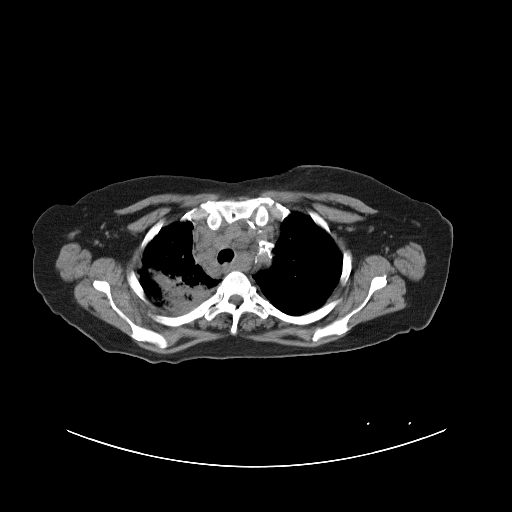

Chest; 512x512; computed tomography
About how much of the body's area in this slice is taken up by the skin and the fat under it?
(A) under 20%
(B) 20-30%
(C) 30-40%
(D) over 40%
Answer: (C) 30-40%
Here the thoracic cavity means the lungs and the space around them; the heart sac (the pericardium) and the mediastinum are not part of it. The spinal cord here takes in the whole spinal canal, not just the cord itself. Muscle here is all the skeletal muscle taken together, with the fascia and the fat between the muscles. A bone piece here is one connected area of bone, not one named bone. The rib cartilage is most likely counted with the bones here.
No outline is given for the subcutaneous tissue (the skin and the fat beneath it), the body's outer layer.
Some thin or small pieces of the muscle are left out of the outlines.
Outlined structures:
muscle: 270,189 336,192 377,209 377,214 348,234 357,260 371,254 387,257 411,241 423,249 425,272 410,286 409,304 351,329 350,318 387,284 385,273 375,275 356,307 313,331 313,342 344,334 336,340 306,347 235,335 244,313 253,313 262,320 272,316 301,326 322,319 342,300 328,299 338,284 345,285 352,271 352,251 347,247 340,251 329,224 317,211 292,211 268,195 208,199 171,223 160,218 148,228 139,244 142,252 137,274 131,268 125,276 143,302 148,304 149,300 172,314 150,313 155,322 178,327 202,317 209,322 218,314 227,313 231,316 232,335 173,353 145,349 132,339 161,349 169,346 167,339 125,314 115,303 108,281 95,278 92,286 106,295 112,309 129,325 129,336 82,308 55,268 58,251 71,242 98,257 112,257 123,264 138,237 126,228 134,217 113,211 148,196 205,192 237,196
bones 1: 233,270 245,274 260,294 288,315 303,315 328,301 341,300 322,318 302,325 272,315 262,319 253,312 244,312 233,335 232,316 220,312 209,321 202,316 168,326 155,321 150,314 187,313 210,297 224,276 with a hole at 232,295 238,295 239,296 240,296 242,298 242,301 238,305 236,305 234,303 233,303 232,302 231,302 230,301 229,301 229,299 230,298 230,297
bones 2: 257,196 268,196 288,208 290,213 282,221 271,215 267,222 263,225 254,223 252,226 243,218 231,223 224,220 218,228 212,229 209,227 204,218 199,219 193,225 190,221 179,220 185,212 208,200 243,200
bones 3: 95,279 104,280 108,282 110,286 110,293 116,306 135,324 151,329 161,334 166,339 168,346 161,348 153,343 139,341 132,338 130,336 131,333 130,325 113,309 107,295 103,291 100,291 93,286 93,281
bones 4: 383,274 386,275 386,284 383,287 375,290 365,305 349,318 347,323 348,326 350,327 349,330 340,335 333,334 321,337 316,341 312,340 312,336 316,328 323,327 335,319 343,317 356,308 366,297 372,278
bones 5: 345,248 347,248 351,251 351,254 352,255 352,260 351,261 351,271 350,272 349,277 346,281 346,282 344,284 344,285 341,285 339,283 339,279 340,278 340,275 341,274 341,271 342,270 342,252
bones 6: 131,269 132,269 138,276 138,280 139,281 139,282 144,291 144,293 148,300 148,303 143,301 130,287 130,286 128,283 128,281 127,280 127,278 126,277 126,276 127,275 127,273 128,272 128,271
bones 7: 162,218 163,218 165,220 165,223 166,225 163,226 160,229 160,230 153,237 153,238 147,243 147,244 145,246 145,247 142,251 140,248 140,244 146,232 149,229 150,227 151,227 157,221 158,221
bones 8: 307,209 312,209 313,210 314,210 316,212 317,212 325,220 325,221 328,224 328,226 329,227 329,228 331,231 331,233 332,234 331,235 330,235 324,229 323,229 321,227 320,227 313,221 313,220 307,214
mediastinum: 271,216 281,222 279,238 271,250 273,256 270,267 254,273 253,282 238,269 231,270 221,279 214,278 195,263 193,226 199,220 204,219 210,229 216,230 224,221 231,224 242,219 252,227 254,224 263,226
torso: 302,164 339,166 368,174 433,205 451,222 453,245 443,295 432,319 420,330 411,329 358,349 319,355 151,363 102,350 54,314 35,288 32,228 40,214 53,204 73,204 94,189 140,176 176,174 238,182
spinal cord: 232,295 238,295 239,296 240,296 242,298 242,301 238,305 236,305 234,303 233,303 232,302 231,302 230,301 229,301 229,299 230,298 230,297
thoracic cavity 1: 291,211 307,215 316,225 332,237 341,253 341,270 338,283 327,300 318,308 299,315 288,314 276,307 258,291 258,287 253,283 254,274 261,270 267,270 271,267 274,256 272,250 280,238 281,223 291,213
thoracic cavity 2: 178,220 180,222 187,221 192,224 191,251 194,263 199,265 208,276 214,279 219,279 220,281 217,284 215,291 198,305 187,312 173,315 154,304 147,297 139,280 138,271 142,266 142,253 148,243 163,227